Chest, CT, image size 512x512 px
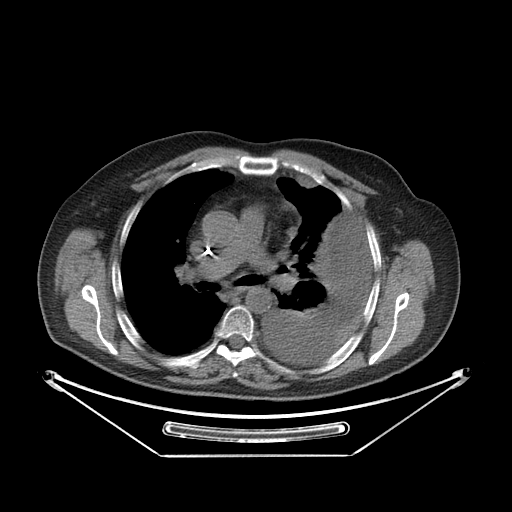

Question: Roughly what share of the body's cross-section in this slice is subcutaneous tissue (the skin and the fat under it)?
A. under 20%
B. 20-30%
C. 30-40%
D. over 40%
Answer: B. 20-30%
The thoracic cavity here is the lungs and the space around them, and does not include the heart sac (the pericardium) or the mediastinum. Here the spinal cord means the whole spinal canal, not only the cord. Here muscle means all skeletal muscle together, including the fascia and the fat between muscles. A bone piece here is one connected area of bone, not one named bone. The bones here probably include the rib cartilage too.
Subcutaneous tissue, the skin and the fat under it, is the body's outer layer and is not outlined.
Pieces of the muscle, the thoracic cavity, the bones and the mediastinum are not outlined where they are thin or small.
{"bones":[{"outer":[[239,304],[245,306],[253,317],[259,348],[271,359],[292,369],[293,373],[281,372],[258,356],[243,359],[234,366],[214,351],[203,358],[200,361],[201,365],[196,368],[167,367],[159,364],[159,358],[187,355],[206,346],[212,340],[214,328],[224,313]],"hole":[[235,334],[236,334],[237,335],[240,335],[244,339],[244,340],[245,341],[245,344],[242,347],[241,347],[239,349],[233,349],[232,348],[231,348],[229,346],[229,345],[228,344],[228,339],[232,335],[234,335]]},[[234,155],[277,157],[280,160],[292,160],[313,168],[322,173],[328,183],[345,195],[352,208],[350,210],[333,191],[317,184],[307,174],[283,167],[270,175],[245,174],[237,168],[229,166],[208,168],[181,175],[163,185],[170,176],[193,162],[217,156]],[[361,331],[363,332],[363,335],[362,336],[361,340],[359,342],[355,349],[341,363],[340,363],[335,367],[322,373],[319,373],[318,374],[311,374],[309,372],[309,371],[311,369],[319,366],[324,360],[328,358],[338,349],[339,349],[353,334],[360,332]],[[85,284],[91,285],[96,291],[97,301],[100,312],[100,330],[104,338],[109,341],[117,350],[118,352],[117,355],[111,354],[109,352],[107,347],[103,344],[97,333],[96,330],[97,313],[95,307],[91,303],[85,300],[82,297],[81,294],[81,289]],[[405,291],[409,294],[409,299],[407,305],[398,312],[398,315],[397,316],[397,325],[394,335],[391,341],[380,356],[372,365],[369,365],[368,364],[368,359],[370,356],[382,347],[390,335],[393,325],[393,316],[395,310],[395,301],[396,298],[399,294]],[[117,308],[119,308],[123,310],[127,314],[130,320],[132,322],[133,325],[141,337],[144,340],[144,342],[142,344],[142,346],[144,349],[143,350],[140,350],[136,348],[130,342],[130,341],[126,337],[122,331],[116,316],[116,309]],[[367,223],[370,223],[373,226],[375,231],[376,238],[379,245],[379,251],[381,256],[381,267],[380,269],[377,271],[375,271],[373,269],[372,257],[370,253],[370,249],[369,248],[369,245],[368,244],[368,241],[366,236],[366,229],[365,227]],[[377,277],[379,278],[379,292],[378,293],[378,297],[377,298],[377,301],[376,302],[375,308],[374,309],[373,314],[371,317],[371,319],[368,324],[365,326],[364,321],[363,320],[363,312],[364,311],[364,309],[365,308],[365,306],[372,287],[373,281]],[[140,200],[142,201],[142,206],[139,212],[137,214],[129,230],[129,232],[128,233],[128,235],[127,236],[127,238],[125,241],[124,245],[122,247],[121,247],[120,246],[120,236],[121,235],[122,229],[123,228],[124,223],[126,220],[126,218],[133,206]],[[114,260],[116,260],[120,264],[121,283],[122,284],[122,288],[123,289],[123,297],[122,297],[118,301],[116,299],[115,297],[115,295],[114,294],[114,292],[113,291],[113,288],[112,287],[112,279],[111,278],[111,267],[112,266],[112,263]]],"torso":[[[192,130],[220,131],[258,142],[326,139],[375,153],[393,165],[418,197],[443,210],[458,244],[459,298],[437,346],[415,365],[381,382],[320,398],[273,401],[187,395],[144,386],[57,345],[46,331],[37,295],[40,251],[57,209],[99,168],[132,147]]],"pericardium":[[[242,198],[257,202],[263,205],[268,211],[271,224],[271,230],[268,244],[264,251],[250,264],[245,264],[236,267],[227,275],[219,279],[205,280],[200,276],[191,260],[192,248],[197,227],[203,220],[203,218],[206,214],[216,205],[221,205],[224,203]]],"mediastinum":[{"outer":[[229,167],[256,176],[270,176],[279,169],[297,172],[276,180],[300,223],[279,268],[281,291],[273,291],[277,305],[257,325],[243,304],[225,311],[226,304],[215,293],[218,287],[196,279],[186,251],[188,231],[202,204],[234,180],[232,173],[220,169]],"hole":[[242,198],[257,202],[263,205],[268,211],[271,224],[271,230],[268,244],[264,251],[250,264],[245,264],[236,267],[227,275],[219,279],[205,280],[200,276],[191,260],[192,248],[197,227],[203,220],[203,218],[206,214],[216,205],[221,205],[224,203]]}],"spinal_cord":[[[235,334],[236,334],[237,335],[240,335],[244,339],[244,340],[245,341],[245,344],[242,347],[241,347],[239,349],[233,349],[232,348],[231,348],[229,346],[229,345],[228,344],[228,339],[232,335],[234,335]]],"muscle":[{"outer":[[282,148],[314,155],[377,192],[367,195],[364,207],[380,233],[384,253],[391,259],[396,253],[392,248],[408,239],[419,239],[428,247],[435,287],[426,303],[424,328],[410,346],[373,367],[341,378],[259,389],[234,378],[210,384],[176,383],[157,371],[116,360],[94,346],[85,345],[81,339],[73,339],[54,291],[59,249],[73,229],[87,227],[103,233],[96,246],[107,258],[118,223],[132,206],[119,236],[119,246],[123,247],[121,260],[112,261],[110,278],[115,299],[118,302],[124,299],[129,315],[117,307],[117,322],[136,349],[143,351],[145,342],[170,356],[158,358],[158,364],[167,368],[196,369],[214,352],[234,367],[243,360],[258,357],[281,373],[293,374],[292,368],[278,362],[264,353],[257,340],[259,336],[261,345],[284,364],[307,366],[321,362],[308,371],[311,375],[325,373],[341,364],[363,338],[362,330],[354,333],[360,320],[366,327],[376,308],[380,278],[373,280],[373,270],[377,272],[382,267],[380,245],[374,226],[367,222],[364,233],[349,199],[322,172],[299,161],[267,155]],"holes":[[[85,284],[91,285],[96,291],[97,301],[100,312],[100,330],[104,338],[109,341],[117,350],[118,352],[117,355],[111,354],[109,352],[107,347],[103,344],[97,333],[96,330],[97,313],[95,307],[91,303],[85,300],[82,297],[81,294],[81,289]],[[405,291],[409,294],[409,299],[407,305],[398,312],[398,315],[397,316],[397,325],[394,335],[391,341],[380,356],[372,365],[369,365],[368,364],[368,359],[370,356],[382,347],[390,335],[393,325],[393,316],[395,310],[395,301],[396,298],[399,294]]]},[[204,146],[234,147],[243,149],[253,155],[256,155],[217,155],[193,161],[170,175],[163,182],[162,186],[156,190],[143,205],[143,201],[141,199],[137,201],[140,194],[132,189],[130,186],[136,181],[135,180],[137,177],[144,172],[165,163],[179,155]]],"thoracic_cavity":[[[293,173],[307,175],[317,185],[330,190],[351,211],[365,234],[372,262],[372,283],[355,330],[328,357],[307,365],[284,363],[274,357],[262,345],[256,330],[256,325],[278,305],[274,291],[282,291],[280,268],[301,223],[298,210],[277,184],[279,178]],[[208,169],[230,173],[233,180],[212,192],[201,204],[187,231],[185,251],[189,264],[195,270],[195,279],[216,286],[214,293],[225,304],[225,309],[206,345],[187,354],[169,355],[146,342],[130,318],[122,283],[122,254],[138,214],[156,191],[181,176]]]}